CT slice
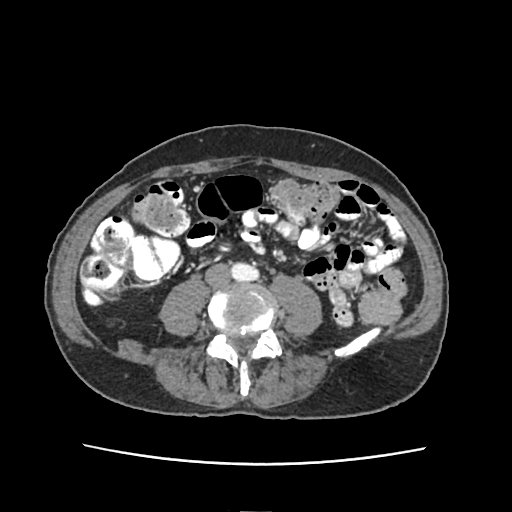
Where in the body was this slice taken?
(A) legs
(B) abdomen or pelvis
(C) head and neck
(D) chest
Answer: (B) abdomen or pelvis
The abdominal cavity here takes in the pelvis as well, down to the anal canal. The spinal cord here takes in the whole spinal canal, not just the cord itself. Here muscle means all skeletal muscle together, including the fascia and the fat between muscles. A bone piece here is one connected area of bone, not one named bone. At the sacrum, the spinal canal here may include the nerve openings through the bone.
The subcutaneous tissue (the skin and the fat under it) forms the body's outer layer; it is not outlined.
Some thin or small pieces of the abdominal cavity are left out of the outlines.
Outlined structures:
muscle: [[266,410],[272,410],[277,408],[281,408],[302,401],[324,384],[328,380],[334,367],[343,361],[360,354],[371,351],[386,344],[399,343],[407,341],[410,339],[415,339],[430,331],[437,323],[442,310],[442,298],[443,297],[443,286],[444,285],[442,269],[440,265],[438,255],[436,252],[436,249],[432,242],[429,233],[422,222],[412,210],[400,198],[393,193],[387,191],[381,185],[363,176],[360,176],[349,171],[332,168],[331,167],[314,166],[313,165],[299,163],[295,161],[277,159],[272,157],[244,156],[243,155],[224,157],[223,158],[211,158],[191,163],[173,164],[167,166],[162,166],[153,171],[147,172],[140,176],[138,176],[128,182],[118,185],[99,197],[88,206],[79,215],[75,222],[65,234],[57,251],[52,273],[51,302],[53,310],[56,316],[56,321],[60,329],[68,339],[76,344],[97,350],[112,357],[142,365],[148,372],[149,375],[163,389],[173,396],[178,401],[180,401],[185,404],[202,408],[216,408],[219,409],[220,408],[230,407],[240,401],[246,400],[256,405],[259,408],[262,408]] with a hole at [[242,396],[248,362],[282,353],[273,279],[318,295],[323,321],[304,343],[337,356],[418,306],[416,250],[373,185],[251,163],[154,178],[96,224],[76,274],[88,327],[113,348],[186,346],[193,337],[157,313],[199,279],[216,329],[206,353],[238,369]]
torso: [[265,419],[354,417],[397,406],[416,394],[441,352],[450,304],[448,269],[425,212],[398,176],[371,154],[339,138],[307,129],[249,123],[212,125],[178,134],[138,154],[83,199],[52,243],[43,305],[64,360],[85,385],[104,398],[165,415],[242,413]]
abdominal cavity: [[318,351],[377,326],[384,332],[422,295],[416,250],[373,185],[251,163],[154,178],[96,224],[75,289],[85,323],[105,344],[129,337],[186,346],[193,337],[169,334],[157,315],[181,281],[201,280],[210,297],[288,275],[320,299],[323,321],[304,341]]
bones 1: [[242,396],[247,395],[251,384],[248,362],[261,357],[273,358],[282,353],[282,347],[272,328],[277,315],[276,300],[268,289],[259,284],[222,287],[213,293],[206,308],[208,318],[216,329],[208,342],[206,353],[211,357],[224,359],[238,369],[239,391]]; inner edge: [[240,355],[245,355],[246,354],[246,352],[248,350],[251,349],[253,347],[255,343],[255,337],[254,338],[253,337],[250,337],[247,335],[244,337],[242,337],[239,335],[234,335],[233,336],[229,336],[228,337],[227,342],[229,343],[238,352],[238,353]]
bones 2: [[337,356],[348,356],[358,351],[360,349],[367,345],[377,335],[378,335],[381,332],[381,328],[380,327],[377,327],[376,328],[368,330],[364,333],[355,337],[352,340],[351,340],[346,344],[335,348],[334,349],[334,353],[335,355]]
spinal cord: [[240,355],[245,355],[246,354],[246,352],[248,350],[251,349],[253,347],[255,343],[255,337],[254,338],[253,337],[250,337],[247,335],[244,337],[242,337],[239,335],[234,335],[233,336],[229,336],[228,337],[227,342],[229,343],[238,352],[238,353]]